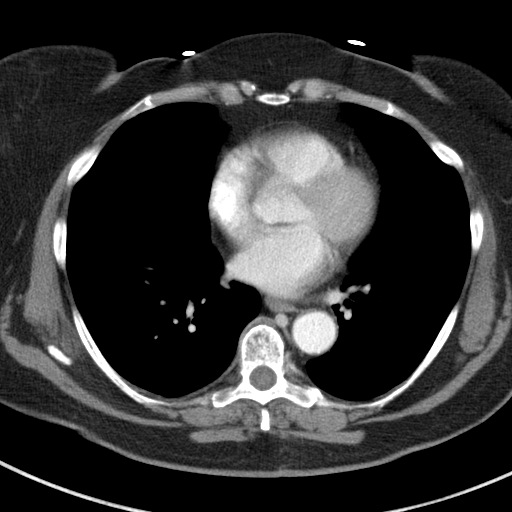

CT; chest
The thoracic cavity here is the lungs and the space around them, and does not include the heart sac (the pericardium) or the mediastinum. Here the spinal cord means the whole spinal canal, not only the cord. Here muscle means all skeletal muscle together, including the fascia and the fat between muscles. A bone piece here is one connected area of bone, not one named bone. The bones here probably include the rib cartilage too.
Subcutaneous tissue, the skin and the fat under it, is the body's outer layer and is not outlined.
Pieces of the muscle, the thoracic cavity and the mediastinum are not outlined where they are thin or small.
The spinal cord is outlined by 259 366; 265 366; 266 367; 269 368; 274 373; 274 374; 275 375; 275 381; 274 382; 274 383; 266 389; 259 389; 258 388; 257 388; 251 383; 251 381; 250 380; 250 376; 251 375; 252 372; 257 367; 258 367. The pericardium is outlined by 280 121; 319 124; 351 136; 363 146; 375 165; 380 187; 375 221; 369 233; 351 254; 346 267; 323 285; 296 297; 267 296; 252 285; 234 277; 227 268; 224 257; 213 241; 212 228; 208 211; 210 190; 218 159; 257 128. The muscle appears in 4 outlined pieces: piece 1: 126 109; 119 118; 123 123; 104 145; 86 146; 72 161; 65 180; 72 188; 67 215; 53 224; 52 252; 67 273; 75 303; 71 318; 81 343; 104 375; 138 404; 170 406; 147 394; 191 394; 221 380; 232 364; 234 383; 188 402; 222 408; 252 400; 260 406; 264 432; 271 427; 267 405; 278 398; 303 408; 351 410; 382 408; 404 392; 447 341; 470 257; 483 239; 484 214; 469 206; 458 152; 488 196; 497 265; 511 280; 511 328; 502 346; 453 396; 421 414; 364 424; 367 436; 357 444; 282 439; 265 432; 252 440; 198 443; 185 429; 130 422; 76 401; 4 350; 0 306; 28 279; 37 220; 60 171; 100 126, around a hole outlined by 49 344; 53 344; 54 345; 55 345; 58 348; 59 348; 68 357; 69 357; 72 360; 72 364; 71 365; 65 365; 61 362; 58 361; 56 359; 55 359; 51 355; 50 355; 47 351; 47 349; 46 348; 47 345; 48 345; piece 2: 236 79; 247 79; 242 79; 240 80; 237 84; 235 83; 232 83; 231 82; 228 82; 227 81; 223 82; 220 84; 220 85; 217 89; 217 94; 218 95; 219 99; 221 101; 212 101; 211 100; 196 100; 197 100; 202 96; 205 95; 208 92; 208 90; 205 87; 203 86; 199 86; 198 85; 193 85; 192 86; 185 86; 184 87; 177 88; 173 90; 167 90; 166 91; 163 91; 162 92; 158 92; 157 93; 150 93; 153 93; 154 92; 157 92; 158 91; 161 91; 162 90; 166 90; 167 89; 175 87; 182 83; 185 83; 186 82; 194 82; 195 81; 201 81; 202 80; 218 80; 219 81; 227 81; 228 80; 235 80; piece 3: 301 77; 319 77; 323 79; 327 79; 328 80; 342 84; 345 86; 347 86; 350 88; 357 90; 358 91; 362 93; 364 93; 360 93; 355 92; 354 91; 351 91; 350 90; 340 90; 339 91; 337 91; 334 95; 334 96; 337 99; 340 100; 338 100; 337 99; 329 99; 332 97; 332 94; 328 92; 328 87; 324 81; 319 78; 311 78; 310 79; 307 79; 304 81; 302 81; 298 79; 297 80; 295 80; 293 82; 290 83; 287 86; 287 89; 285 91; 265 91; 264 92; 256 92; 258 88; 256 84; 248 80; 251 80; 252 81; 256 82; 262 88; 266 90; 269 90; 270 91; 277 91; 278 90; 281 90; 289 82; 297 78; 300 78; piece 4: 393 103; 403 108; 406 111; 415 116; 420 121; 421 121; 426 126; 427 126; 432 131; 433 131; 438 136; 439 136; 440 138; 449 144; 437 138; 431 139; 430 140; 426 141; 413 127; 404 121; 407 121; 408 120; 407 116; 395 104. The mediastinum appears in 3 outlined pieces: piece 1: 347 266; 348 273; 331 296; 331 308; 338 325; 337 339; 329 351; 306 362; 304 366; 305 381; 286 351; 286 344; 281 333; 273 325; 258 322; 246 326; 261 309; 262 302; 257 290; 267 297; 296 298; 323 286; piece 2: 296 95; 306 101; 343 102; 345 119; 354 126; 363 145; 351 135; 323 124; 280 120; 257 127; 244 136; 217 159; 215 170; 219 146; 227 130; 217 108; 202 101; 233 105; 241 104; 246 97; 253 97; 257 102; 278 106; 288 103; piece 3: 220 253; 223 257; 223 259; 225 262; 225 266; 226 268; 229 271; 229 272; 231 273; 231 274; 234 278; 241 281; 239 281; 236 279; 231 279; 228 281; 228 279; 226 277; 226 273; 225 272; 225 266; 224 265; 224 262. The thoracic cavity appears in 2 outlined pieces: piece 1: 183 101; 210 103; 225 125; 207 202; 210 241; 222 259; 227 281; 253 287; 261 304; 257 315; 240 333; 235 362; 225 376; 191 393; 164 397; 144 394; 130 385; 93 339; 76 305; 68 277; 67 216; 73 187; 124 122; 157 106; piece 2: 344 102; 377 110; 413 128; 443 163; 459 173; 469 207; 470 256; 456 302; 413 371; 390 391; 365 401; 324 393; 306 381; 305 370; 308 361; 329 352; 338 339; 332 296; 349 273; 348 262; 370 233; 379 208; 378 170; 346 119. The bones appear in 10 outlined pieces: piece 1: 457 302; 454 325; 435 358; 382 407; 303 407; 278 397; 266 405; 270 427; 264 431; 261 406; 252 399; 240 398; 222 407; 189 402; 235 383; 233 365; 240 335; 258 323; 280 333; 301 378; 328 398; 348 404; 379 399; 414 371; inner edge: 259 366; 265 366; 266 367; 269 368; 274 373; 274 374; 275 375; 275 381; 274 382; 274 383; 266 389; 259 389; 258 388; 257 388; 251 383; 251 381; 250 380; 250 376; 251 375; 252 372; 257 367; 258 367; piece 2: 311 79; 323 81; 331 94; 328 99; 306 100; 297 93; 288 102; 278 105; 257 101; 253 96; 246 96; 241 103; 232 104; 222 101; 218 94; 219 87; 226 82; 237 85; 247 80; 255 84; 256 93; 264 93; 285 92; 295 81; piece 3: 73 306; 76 306; 92 339; 104 358; 111 367; 124 380; 125 380; 130 386; 144 395; 156 399; 165 400; 172 403; 172 404; 170 405; 156 404; 152 406; 146 406; 143 404; 138 403; 116 386; 96 365; 82 343; 72 318; 72 307; piece 4: 193 86; 203 87; 207 90; 207 92; 205 94; 195 100; 183 100; 182 101; 173 101; 172 102; 163 103; 143 111; 125 121; 122 121; 120 119; 121 116; 132 105; 147 94; 157 94; piece 5: 340 91; 350 91; 355 93; 359 93; 360 94; 364 94; 368 96; 371 96; 383 101; 390 101; 406 116; 407 120; 399 119; 391 115; 383 113; 377 109; 375 109; 356 102; 352 102; 351 101; 342 101; 335 96; 336 93; piece 6: 95 144; 99 144; 103 146; 98 153; 92 165; 87 171; 87 172; 72 187; 69 187; 67 186; 66 184; 67 175; 68 174; 68 172; 70 169; 70 167; 73 161; 84 148; 86 147; 89 147; 90 146; 92 146; piece 7: 59 217; 64 217; 66 219; 66 238; 65 239; 65 264; 66 265; 66 269; 65 270; 63 270; 59 267; 59 266; 56 261; 56 259; 55 258; 55 256; 54 255; 54 253; 53 252; 53 228; 54 227; 54 224; 55 223; 56 220; piece 8: 435 139; 437 139; 444 142; 453 148; 457 152; 463 161; 463 165; 464 166; 464 168; 462 171; 459 172; 454 167; 450 165; 448 165; 443 162; 436 155; 436 154; 432 150; 432 149; 427 143; 428 141; 434 140; piece 9: 474 207; 478 207; 481 210; 481 211; 483 214; 483 234; 482 235; 482 239; 481 240; 481 243; 480 244; 480 246; 479 247; 479 249; 478 250; 478 251; 474 255; 472 255; 471 254; 471 232; 470 231; 470 209; 471 208; 473 208; piece 10: 49 344; 53 344; 54 345; 55 345; 58 348; 59 348; 68 357; 69 357; 72 360; 72 364; 71 365; 65 365; 61 362; 58 361; 56 359; 55 359; 51 355; 50 355; 47 351; 47 349; 46 348; 47 345; 48 345. The torso is outlined by 263 31; 317 36; 402 68; 408 67; 411 52; 450 55; 485 70; 511 93; 511 397; 480 424; 436 445; 370 467; 294 477; 212 475; 144 463; 0 403; 0 58; 35 45; 85 43; 112 51; 123 69; 153 57; 185 58; 230 37.